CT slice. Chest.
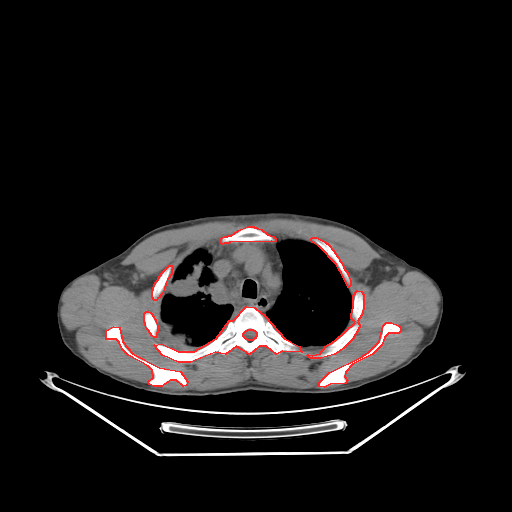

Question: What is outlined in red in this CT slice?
Answer: red: bones.
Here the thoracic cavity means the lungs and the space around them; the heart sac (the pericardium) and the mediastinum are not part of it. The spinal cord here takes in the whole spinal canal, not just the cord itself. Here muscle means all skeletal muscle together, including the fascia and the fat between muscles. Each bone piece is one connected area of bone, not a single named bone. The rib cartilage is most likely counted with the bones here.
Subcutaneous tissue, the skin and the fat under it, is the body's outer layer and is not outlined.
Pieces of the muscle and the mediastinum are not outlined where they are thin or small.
{"bones":[{"outer":[[246,306],[254,307],[265,316],[284,338],[299,346],[301,352],[282,351],[276,354],[266,346],[259,346],[249,354],[236,346],[225,354],[215,352],[190,362],[178,362],[162,355],[154,345],[161,343],[178,351],[194,351],[216,338],[229,320],[233,320]],"hole":[[248,329],[252,329],[253,330],[254,330],[256,332],[256,336],[255,337],[255,338],[254,338],[252,340],[248,340],[247,339],[246,339],[243,336],[243,333],[246,330],[247,330]]},[[113,326],[119,327],[122,341],[132,353],[159,367],[180,371],[187,381],[186,385],[183,386],[176,380],[170,380],[161,386],[154,386],[149,384],[148,381],[153,377],[152,370],[148,366],[128,355],[122,349],[119,342],[116,339],[106,339],[106,330]],[[357,290],[361,291],[363,294],[363,308],[361,315],[357,321],[359,324],[359,327],[352,339],[343,348],[334,354],[320,358],[310,358],[307,355],[308,354],[312,355],[320,353],[325,346],[335,340],[355,322],[351,318],[351,314],[353,307],[353,295]],[[386,322],[391,322],[398,325],[400,327],[400,331],[398,333],[388,333],[384,337],[381,345],[372,354],[352,364],[345,372],[344,376],[347,380],[345,383],[330,384],[324,387],[319,386],[319,382],[329,372],[362,356],[369,351],[379,341],[383,325]],[[247,226],[253,226],[254,227],[256,227],[257,228],[261,229],[267,234],[273,236],[275,238],[275,241],[273,242],[271,241],[229,242],[228,243],[224,243],[222,244],[220,242],[220,239],[222,237],[224,236],[227,236],[228,235],[231,235],[238,230]],[[312,237],[316,237],[324,241],[326,243],[327,243],[334,251],[334,252],[338,257],[339,260],[341,262],[343,267],[348,274],[348,276],[350,280],[350,285],[348,287],[341,272],[339,270],[336,264],[319,246],[312,242],[311,240],[311,238]],[[169,265],[171,265],[172,267],[172,269],[171,270],[171,274],[167,279],[165,283],[164,288],[161,294],[159,296],[159,297],[157,298],[156,300],[154,300],[152,297],[152,290],[153,289],[154,284],[159,277],[159,276],[161,274],[161,273]],[[146,311],[148,311],[150,312],[152,314],[152,315],[155,319],[155,321],[157,325],[157,332],[156,333],[156,337],[154,337],[151,335],[151,334],[149,332],[149,331],[147,329],[145,325],[145,323],[144,322],[144,313]]],"spinal_cord":[[[248,329],[252,329],[253,330],[254,330],[256,332],[256,336],[255,337],[255,338],[254,338],[252,340],[248,340],[247,339],[246,339],[243,336],[243,333],[246,330],[247,330]]],"torso":[[[271,211],[314,215],[349,225],[421,268],[437,282],[444,303],[436,337],[409,365],[378,381],[332,393],[247,390],[219,395],[177,396],[137,389],[113,380],[90,368],[64,345],[57,325],[56,307],[61,290],[76,276],[117,255],[156,227],[210,215]]],"mediastinum":[[[276,238],[284,239],[277,244],[282,262],[282,289],[278,297],[272,307],[266,312],[266,316],[251,305],[242,307],[233,315],[234,308],[230,303],[223,304],[218,302],[220,286],[209,267],[212,257],[205,247],[217,241],[222,245],[248,242],[273,243]]],"thoracic_cavity":[[[285,239],[304,240],[319,247],[335,264],[340,272],[350,294],[352,296],[352,307],[351,308],[350,318],[345,329],[335,339],[326,345],[322,346],[302,346],[298,345],[284,337],[267,317],[267,312],[273,307],[283,289],[283,262],[278,248],[278,244]],[[202,247],[206,249],[211,257],[208,267],[219,286],[217,302],[223,305],[230,304],[233,308],[232,315],[235,316],[233,319],[228,320],[216,337],[204,345],[189,351],[178,350],[164,344],[157,333],[156,301],[162,294],[168,279],[177,266],[188,255]]],"muscle":[{"outer":[[268,218],[331,225],[362,238],[382,257],[374,259],[359,276],[372,288],[384,280],[399,282],[409,270],[420,272],[430,280],[439,294],[438,313],[434,323],[424,330],[417,349],[405,361],[378,374],[347,382],[345,375],[352,365],[372,355],[388,334],[401,331],[391,321],[382,325],[378,341],[369,350],[329,371],[318,382],[319,387],[309,388],[247,382],[208,390],[163,388],[170,381],[185,387],[188,383],[185,375],[132,352],[125,345],[118,325],[107,328],[104,337],[116,340],[128,356],[151,370],[152,377],[147,383],[103,370],[78,350],[60,314],[61,298],[77,278],[93,273],[137,294],[150,282],[132,264],[121,262],[146,238],[161,231],[211,221],[252,222]],"hole":[[247,226],[276,238],[311,243],[316,237],[334,251],[348,274],[350,294],[357,290],[363,294],[359,327],[343,348],[329,356],[310,358],[308,354],[320,353],[324,345],[300,345],[301,352],[278,354],[266,346],[251,354],[236,346],[225,354],[215,352],[190,362],[169,359],[157,350],[154,344],[164,343],[157,333],[156,337],[151,335],[144,313],[148,311],[156,318],[152,290],[161,273],[171,265],[172,274],[196,249]]}]}